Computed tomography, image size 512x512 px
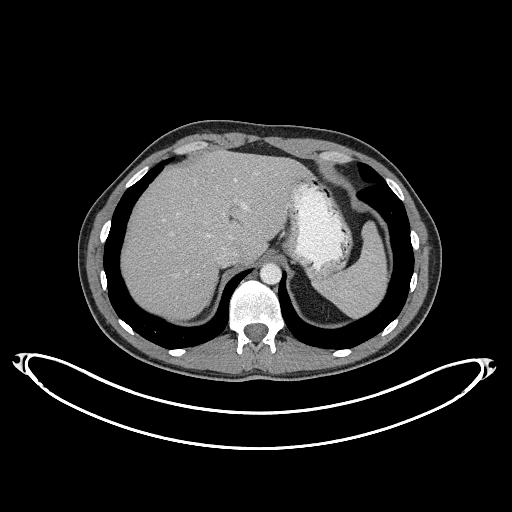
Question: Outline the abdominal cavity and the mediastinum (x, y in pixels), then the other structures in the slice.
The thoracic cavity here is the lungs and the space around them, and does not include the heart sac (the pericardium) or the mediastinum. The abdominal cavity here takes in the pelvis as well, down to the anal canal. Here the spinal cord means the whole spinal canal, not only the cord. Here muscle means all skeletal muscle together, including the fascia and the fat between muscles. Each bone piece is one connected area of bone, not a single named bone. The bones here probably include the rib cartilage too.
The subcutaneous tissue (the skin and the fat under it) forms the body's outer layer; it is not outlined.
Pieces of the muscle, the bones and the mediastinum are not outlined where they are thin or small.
Answer: {"abdominal_cavity":[[[326,329],[373,311],[385,296],[393,268],[387,224],[356,196],[353,182],[329,160],[261,141],[208,147],[165,164],[134,204],[120,250],[120,272],[134,302],[174,325],[202,325],[215,314],[225,284],[236,273],[275,263],[287,273],[286,289],[299,317]]],"mediastinum":[[[277,295],[277,289],[278,288],[279,281],[283,272],[283,271],[280,269],[277,265],[275,264],[266,264],[265,265],[262,265],[261,266],[256,267],[253,269],[251,268],[249,269],[251,269],[252,270],[251,272],[242,280],[256,279],[271,288],[277,294]],[[357,196],[357,193],[359,191],[359,190],[363,187],[366,186],[368,184],[365,183],[361,179],[357,170],[356,162],[350,162],[349,163],[346,163],[345,164],[336,164],[335,163],[337,170],[339,172],[349,177],[354,182],[356,189],[357,190]]],"bones":[{"outer":[[238,353],[241,353],[242,347],[245,344],[248,344],[255,350],[257,350],[263,344],[267,344],[270,347],[271,352],[273,353],[275,351],[274,342],[275,336],[285,326],[276,294],[267,286],[256,280],[241,281],[234,290],[229,301],[228,327],[237,334]],"hole":[[253,341],[259,341],[265,335],[265,334],[267,331],[267,328],[265,325],[264,325],[263,324],[260,324],[259,323],[257,323],[256,324],[250,324],[249,325],[247,325],[245,327],[245,328],[244,329],[244,330],[245,331],[245,333],[247,335],[247,336]]},[[336,163],[345,163],[346,162],[349,162],[351,161],[352,158],[350,155],[348,154],[346,154],[343,152],[340,152],[339,151],[334,151],[333,150],[332,151],[324,151],[323,152],[321,152],[319,153],[318,156],[320,157],[323,157],[327,159],[329,159]],[[176,154],[183,154],[184,153],[187,153],[190,151],[192,151],[196,149],[200,149],[201,148],[206,147],[208,145],[208,143],[206,141],[193,141],[192,142],[189,142],[188,143],[186,143],[183,145],[181,145],[178,147],[176,147],[173,150],[174,153]],[[126,189],[128,187],[129,187],[131,185],[132,185],[134,183],[135,183],[138,180],[139,180],[148,171],[148,170],[150,168],[149,167],[149,166],[146,165],[142,168],[141,168],[139,170],[138,170],[128,180],[128,181],[125,184],[125,188]],[[402,201],[403,201],[404,200],[404,196],[402,193],[402,191],[401,190],[400,187],[398,185],[398,184],[394,180],[393,180],[391,178],[389,178],[388,177],[386,177],[385,178],[385,181],[387,183],[387,184],[389,186],[389,187],[393,191],[393,192]],[[102,243],[104,243],[105,242],[105,241],[106,240],[106,238],[108,235],[108,233],[109,232],[109,229],[110,228],[110,225],[111,224],[111,219],[109,219],[108,220],[107,220],[103,224],[103,225],[101,228],[101,231],[100,232],[100,241]],[[414,251],[415,250],[417,250],[419,247],[419,240],[418,239],[418,236],[417,235],[417,234],[416,233],[416,232],[414,230],[413,230],[412,229],[411,229],[411,230],[410,231],[410,238],[411,239],[411,244],[412,245],[412,247],[413,248],[413,250]],[[381,336],[383,336],[384,335],[385,335],[386,334],[387,334],[389,332],[390,332],[395,327],[395,326],[397,324],[397,322],[398,321],[398,319],[397,318],[397,317],[396,318],[395,318],[391,322],[390,322],[380,332],[380,335]],[[409,292],[412,292],[413,291],[413,290],[415,288],[415,286],[416,285],[416,283],[417,282],[417,273],[416,272],[415,272],[414,271],[413,272],[413,273],[412,274],[412,276],[411,277],[411,279],[410,280],[410,283],[409,284]],[[105,291],[106,291],[107,290],[107,281],[106,280],[106,277],[105,276],[105,272],[104,271],[104,270],[103,269],[102,269],[100,271],[100,280],[101,281],[101,284],[102,285],[102,288]],[[131,334],[134,334],[135,333],[135,332],[131,328],[131,327],[128,324],[127,324],[123,320],[122,320],[120,318],[118,318],[118,322],[121,325],[121,326],[124,329],[125,329],[129,333],[130,333]]],"thoracic_cavity":[[[330,349],[351,348],[396,317],[413,271],[404,206],[384,179],[360,162],[359,173],[369,184],[358,196],[382,215],[390,231],[394,268],[386,296],[367,316],[343,328],[326,330],[307,324],[295,313],[284,272],[278,289],[282,315],[292,334],[308,345]],[[167,349],[198,345],[221,333],[227,325],[229,298],[251,270],[236,274],[226,284],[216,314],[202,326],[174,326],[146,313],[133,302],[118,267],[125,224],[141,192],[171,157],[160,161],[124,192],[112,216],[103,259],[109,298],[119,317],[140,335]]],"spinal_cord":[[[253,341],[259,341],[265,335],[265,334],[267,331],[267,328],[265,325],[264,325],[263,324],[260,324],[259,323],[257,323],[256,324],[250,324],[249,325],[247,325],[245,327],[245,328],[244,329],[244,330],[245,331],[245,333],[247,335],[247,336]]],"muscle":[{"outer":[[231,374],[240,374],[243,371],[248,371],[255,368],[258,368],[263,371],[267,371],[270,373],[278,374],[279,373],[285,373],[286,372],[291,372],[298,370],[312,370],[313,369],[329,368],[330,367],[334,367],[350,363],[356,360],[361,359],[381,348],[396,336],[409,323],[417,313],[423,302],[428,288],[428,235],[427,234],[427,230],[425,227],[425,225],[420,219],[418,211],[416,209],[416,207],[410,195],[402,183],[391,171],[380,162],[370,156],[356,151],[344,145],[321,139],[314,139],[313,138],[284,138],[278,136],[261,137],[257,135],[245,134],[240,132],[226,132],[225,133],[211,133],[208,132],[207,133],[197,133],[196,134],[188,135],[183,138],[181,138],[172,145],[156,151],[145,158],[121,181],[112,192],[105,205],[97,213],[93,223],[92,229],[89,235],[89,239],[87,244],[87,249],[86,250],[86,272],[87,273],[87,278],[89,286],[93,298],[99,310],[104,316],[107,322],[123,338],[133,346],[151,357],[162,360],[168,363],[171,363],[187,368],[209,369],[210,370],[215,370]],"hole":[[175,356],[227,325],[237,334],[238,353],[245,344],[255,350],[267,344],[273,353],[285,326],[334,356],[390,332],[415,288],[413,252],[419,247],[398,184],[343,152],[315,157],[261,141],[239,147],[193,141],[138,170],[101,228],[100,280],[121,326]]}],"torso":[[[218,381],[296,381],[345,372],[389,355],[425,319],[441,275],[439,233],[428,210],[402,172],[369,143],[350,134],[325,128],[229,119],[198,120],[178,126],[152,141],[89,208],[78,236],[77,268],[86,303],[97,325],[112,342],[141,361],[183,375]]]}